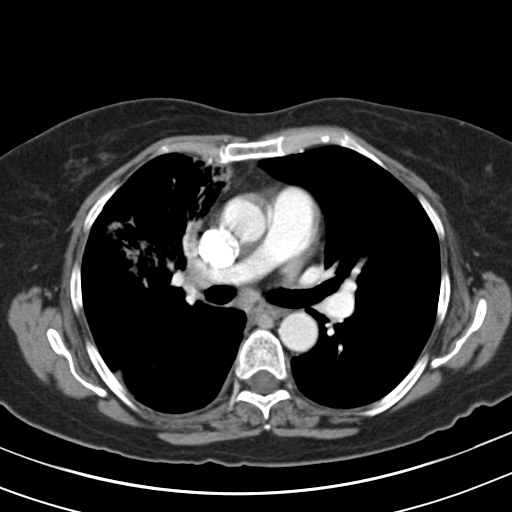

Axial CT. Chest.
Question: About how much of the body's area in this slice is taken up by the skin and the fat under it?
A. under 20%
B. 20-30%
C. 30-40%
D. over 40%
Answer: C. 30-40%
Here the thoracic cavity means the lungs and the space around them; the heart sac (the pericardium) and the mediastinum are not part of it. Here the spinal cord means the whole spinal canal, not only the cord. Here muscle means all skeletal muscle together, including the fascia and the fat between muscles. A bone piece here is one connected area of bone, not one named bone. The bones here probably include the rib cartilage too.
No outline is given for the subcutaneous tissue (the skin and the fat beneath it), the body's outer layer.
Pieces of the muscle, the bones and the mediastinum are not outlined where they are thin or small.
{"thoracic_cavity":[[[170,153],[208,157],[227,168],[225,183],[198,226],[196,261],[203,278],[218,298],[245,315],[243,339],[234,360],[230,390],[208,408],[182,413],[164,413],[140,403],[109,368],[95,344],[84,312],[81,283],[86,242],[105,204],[142,165]],[[317,145],[350,149],[392,174],[416,197],[438,239],[439,293],[425,345],[390,391],[368,404],[349,408],[308,398],[295,386],[290,370],[292,358],[309,352],[320,335],[317,320],[306,308],[323,269],[324,214],[305,188],[277,179],[259,166],[261,159]]],"pericardium":[[[281,183],[296,187],[301,187],[305,189],[314,200],[318,225],[318,244],[315,252],[309,263],[295,277],[291,279],[276,282],[261,287],[248,287],[238,284],[231,277],[224,267],[219,253],[214,244],[213,217],[220,206],[227,200],[240,194],[270,188]]],"muscle":[{"outer":[[310,125],[346,128],[421,177],[439,195],[466,260],[506,280],[511,287],[511,320],[489,361],[352,435],[323,439],[264,431],[199,445],[173,444],[141,427],[116,421],[54,391],[34,373],[7,320],[11,299],[29,285],[50,290],[57,283],[67,228],[86,197],[108,175],[160,139],[193,134],[231,134],[249,140],[218,145],[191,140],[162,144],[121,185],[114,184],[90,207],[82,226],[88,235],[81,263],[76,260],[70,271],[73,311],[77,316],[83,311],[94,342],[84,339],[86,353],[100,378],[124,404],[137,413],[140,406],[182,414],[208,409],[230,391],[228,410],[235,403],[247,402],[266,421],[272,406],[293,397],[294,385],[302,395],[324,406],[349,409],[367,405],[357,414],[372,417],[401,399],[428,364],[434,369],[454,356],[480,328],[488,305],[483,297],[478,300],[469,326],[450,351],[429,361],[428,352],[420,356],[435,321],[437,327],[443,323],[450,301],[450,273],[441,270],[439,240],[445,238],[445,231],[438,212],[422,193],[414,195],[346,131],[294,131],[254,140],[283,128]],"hole":[[49,328],[55,329],[60,335],[63,342],[71,355],[74,369],[77,374],[87,382],[104,389],[107,393],[106,396],[103,397],[96,394],[92,390],[83,385],[75,378],[70,370],[69,363],[67,359],[63,355],[58,354],[53,350],[46,335],[46,332]]}],"mediastinum":[[[252,159],[286,183],[237,194],[212,217],[213,244],[238,285],[261,288],[295,278],[319,244],[315,200],[324,217],[322,269],[305,308],[319,335],[289,363],[271,331],[256,328],[244,338],[245,313],[219,298],[197,261],[199,226],[226,183],[223,164]]],"bones":[[[308,131],[346,132],[375,155],[389,171],[368,157],[338,144],[298,147],[295,152],[286,155],[225,163],[215,161],[214,158],[208,156],[180,152],[164,153],[149,159],[162,145],[174,142],[203,142],[218,146],[230,142],[259,141],[284,134]],{"outer":[[256,329],[267,330],[279,340],[285,359],[289,364],[291,381],[293,384],[291,390],[292,397],[280,400],[272,405],[266,420],[261,410],[247,401],[241,400],[235,402],[232,409],[228,409],[228,399],[232,388],[234,378],[233,371],[239,347],[242,341]],"hole":[[261,370],[265,370],[269,372],[275,378],[276,380],[276,387],[275,389],[273,391],[269,393],[267,393],[266,394],[261,394],[260,393],[258,393],[252,390],[250,388],[250,379],[251,377],[255,373]]},[[481,298],[486,301],[487,305],[483,321],[479,328],[469,335],[454,355],[434,368],[428,363],[406,393],[387,409],[372,416],[358,414],[369,404],[390,392],[407,375],[423,354],[428,353],[429,362],[450,352],[454,348],[456,341],[470,326],[477,304]],[[85,339],[88,339],[94,343],[98,352],[108,368],[113,373],[116,378],[124,386],[128,393],[135,401],[144,406],[141,406],[140,405],[139,406],[139,412],[134,411],[124,403],[109,388],[101,378],[96,369],[92,364],[90,358],[87,353],[85,347]],[[49,328],[55,329],[60,335],[63,342],[71,355],[74,369],[77,374],[87,382],[104,389],[107,393],[106,396],[103,397],[96,394],[92,390],[83,385],[75,378],[70,370],[69,363],[67,359],[63,355],[58,354],[53,350],[46,335],[46,332]],[[443,269],[446,269],[449,273],[449,277],[450,278],[450,293],[449,294],[449,301],[448,302],[447,310],[445,316],[442,323],[439,326],[437,326],[436,325],[436,314],[437,313],[437,306],[438,305],[438,300],[439,299],[439,294],[440,293],[441,273]],[[76,261],[77,261],[80,265],[81,298],[82,299],[82,305],[83,306],[83,310],[82,310],[78,315],[77,315],[74,311],[74,309],[72,305],[72,302],[71,301],[71,297],[70,296],[70,277],[71,276],[71,271],[72,270],[73,265]],[[116,184],[119,184],[120,185],[119,187],[112,194],[112,195],[104,204],[101,211],[92,224],[89,230],[89,232],[87,233],[85,231],[84,231],[83,226],[84,225],[84,221],[86,218],[86,216],[89,210],[101,195],[102,195],[107,190],[110,189]],[[418,193],[422,194],[428,200],[428,201],[437,212],[440,218],[440,220],[442,223],[443,230],[444,231],[444,238],[442,240],[438,238],[438,236],[436,233],[436,231],[434,228],[434,226],[432,222],[430,220],[424,208],[417,198],[417,194]]],"torso":[[[155,96],[184,98],[240,112],[272,111],[321,97],[354,97],[452,116],[511,140],[511,396],[493,406],[481,405],[459,418],[450,428],[438,430],[403,447],[343,461],[287,467],[145,461],[60,438],[9,412],[0,404],[0,155],[78,113],[122,100]]],"spinal_cord":[[[261,370],[265,370],[269,372],[275,378],[276,380],[276,387],[275,389],[273,391],[269,393],[267,393],[266,394],[261,394],[260,393],[258,393],[252,390],[250,388],[250,379],[251,377],[255,373]]]}